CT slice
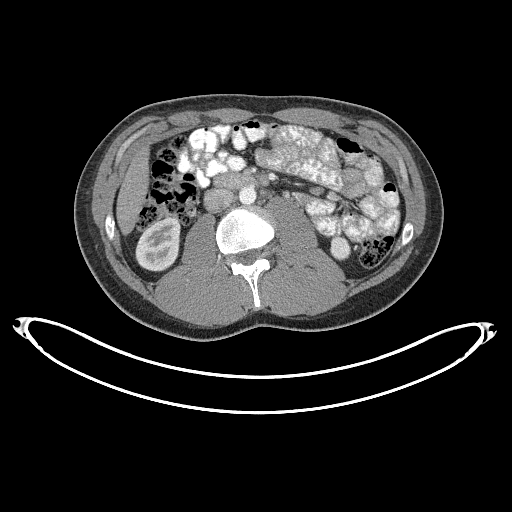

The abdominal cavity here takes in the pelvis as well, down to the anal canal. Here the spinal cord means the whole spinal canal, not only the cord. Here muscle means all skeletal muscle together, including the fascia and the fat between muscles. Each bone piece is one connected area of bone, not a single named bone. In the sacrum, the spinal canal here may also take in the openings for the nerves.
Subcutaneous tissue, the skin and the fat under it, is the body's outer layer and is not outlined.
{"abdominal_cavity":[[[147,280],[180,262],[185,234],[200,214],[211,213],[216,226],[232,207],[265,208],[274,197],[300,208],[319,246],[347,277],[366,275],[389,257],[404,224],[404,199],[379,154],[331,130],[267,116],[194,126],[136,151],[115,193],[113,216],[122,251]]],"muscle":[{"outer":[[206,328],[216,328],[233,323],[259,310],[284,317],[315,316],[331,310],[351,296],[384,281],[400,270],[415,249],[415,244],[423,231],[426,207],[425,192],[417,167],[409,150],[396,134],[375,120],[355,119],[316,108],[297,107],[271,113],[253,112],[238,108],[217,108],[208,110],[190,109],[167,115],[143,116],[112,141],[98,168],[92,187],[91,201],[92,217],[98,228],[109,264],[124,283],[164,313],[178,320]],"holes":[[[256,307],[260,306],[258,277],[271,264],[266,244],[275,225],[265,206],[274,197],[300,208],[319,246],[347,277],[380,267],[400,234],[401,246],[411,240],[413,225],[404,222],[404,199],[383,158],[345,135],[267,116],[194,126],[136,151],[116,190],[113,213],[106,216],[107,237],[113,239],[115,228],[132,269],[144,279],[155,280],[180,262],[185,234],[197,217],[211,213],[216,218],[219,250],[233,274],[248,282]],[[116,162],[119,162],[124,152],[127,149],[131,142],[137,136],[138,136],[145,129],[158,121],[156,121],[155,122],[149,122],[147,124],[146,124],[144,126],[143,126],[141,128],[128,136],[122,143],[117,152],[117,154],[116,155]],[[405,181],[407,181],[407,180],[408,179],[407,172],[406,171],[406,169],[405,168],[405,166],[403,163],[403,161],[402,160],[402,159],[400,157],[398,157],[397,158],[398,159],[398,163],[399,164],[399,167],[400,168],[400,172],[401,173],[402,178]]]}],"bones":[{"outer":[[256,307],[260,306],[258,277],[260,273],[267,270],[271,264],[271,256],[266,244],[273,238],[275,225],[268,212],[262,207],[243,205],[232,208],[220,219],[216,227],[215,239],[219,250],[225,257],[226,264],[230,267],[233,274],[242,275],[248,282]],"hole":[[243,264],[250,264],[251,263],[252,263],[257,258],[260,257],[261,256],[261,250],[260,250],[259,249],[250,249],[249,250],[247,250],[246,251],[244,251],[243,252],[240,252],[239,253],[236,254],[234,256],[234,260],[237,262],[240,262]]},[[116,162],[119,162],[124,152],[127,149],[131,142],[137,136],[138,136],[145,129],[158,121],[156,121],[155,122],[149,122],[147,124],[146,124],[144,126],[143,126],[141,128],[128,136],[122,143],[117,152],[117,154],[116,155]],[[401,246],[403,246],[404,245],[405,245],[407,243],[408,243],[411,240],[411,239],[412,238],[412,237],[413,236],[413,225],[410,222],[407,222],[406,223],[405,223],[405,224],[404,225],[404,226],[403,227],[403,229],[402,230],[402,233],[401,234]],[[110,240],[112,240],[113,239],[113,238],[114,237],[114,221],[113,220],[113,217],[112,216],[112,214],[110,212],[109,213],[108,213],[107,214],[107,215],[106,216],[106,218],[105,219],[105,232],[106,233],[106,235],[107,236],[107,237]],[[405,181],[407,181],[407,180],[408,179],[407,172],[406,171],[406,169],[405,168],[405,166],[403,163],[403,161],[402,160],[402,159],[400,157],[398,157],[397,158],[398,159],[398,163],[399,164],[399,167],[400,168],[400,172],[401,173],[402,178]]],"spinal_cord":[[[243,264],[250,264],[251,263],[252,263],[257,258],[260,257],[261,256],[261,250],[260,250],[259,249],[250,249],[249,250],[247,250],[246,251],[244,251],[243,252],[240,252],[239,253],[236,254],[234,256],[234,260],[237,262],[240,262]]],"torso":[[[193,341],[218,340],[260,326],[296,331],[344,327],[378,314],[407,292],[430,263],[443,228],[443,199],[439,183],[412,137],[378,110],[312,95],[191,95],[144,105],[119,121],[91,153],[76,186],[73,217],[80,251],[97,283],[125,314],[157,331]]]}